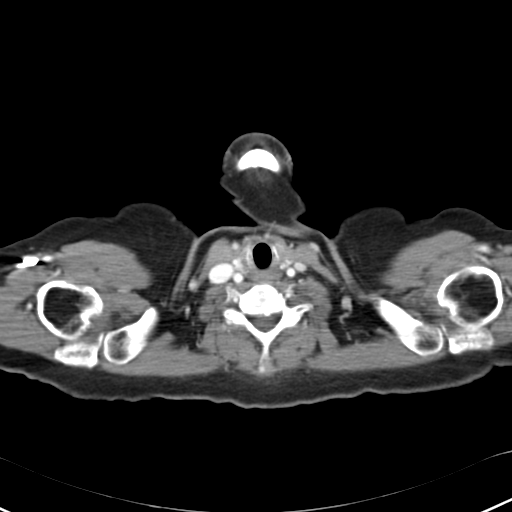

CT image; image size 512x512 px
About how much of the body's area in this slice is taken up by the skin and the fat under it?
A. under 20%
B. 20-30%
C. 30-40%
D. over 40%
Answer: C. 30-40%
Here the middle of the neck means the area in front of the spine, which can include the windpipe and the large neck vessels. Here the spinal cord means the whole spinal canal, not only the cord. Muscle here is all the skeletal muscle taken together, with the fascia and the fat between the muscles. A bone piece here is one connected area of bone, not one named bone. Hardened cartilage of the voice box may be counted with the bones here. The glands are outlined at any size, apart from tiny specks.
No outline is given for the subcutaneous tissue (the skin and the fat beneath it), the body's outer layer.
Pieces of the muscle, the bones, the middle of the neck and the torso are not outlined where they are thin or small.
The spinal cord is outlined by 275,313 280,313 280,316 278,320 274,325 274,326 272,328 266,331 263,331 262,330 260,330 258,329 251,322 249,318 250,316 255,316 256,315 262,315 263,316 269,316. The left arm is outlined by 451,206 463,206 473,209 491,219 498,225 504,228 511,229 511,357 502,355 493,351 486,345 481,343 473,336 468,334 457,326 442,308 427,283 422,263 422,254 420,244 420,218 432,216 440,210. The bones appear in 4 outlined pieces: piece 1: 466,263 487,266 502,282 501,311 485,326 494,340 490,349 451,354 445,340 439,351 420,355 400,341 369,298 376,292 414,318 438,327 444,324 450,330 453,326 447,318 448,310 438,304 436,293 443,279; piece 2: 58,278 89,285 99,294 103,309 92,319 91,341 100,332 106,333 134,322 150,306 155,306 158,320 147,344 123,364 108,361 101,348 98,364 90,369 57,361 54,351 66,342 40,321 35,296 41,285; piece 3: 260,282 268,282 281,292 293,284 295,301 313,305 293,327 283,329 271,342 268,359 264,361 267,372 262,374 258,371 261,344 243,326 227,323 222,315 225,308 236,306 233,302 225,302 227,288 244,292; inner edge: 275,313 280,313 280,316 278,320 274,325 274,326 272,328 266,331 263,331 262,330 260,330 258,329 251,322 249,318 250,316 255,316 256,315 262,315 263,316 269,316; piece 4: 256,147 259,147 260,148 266,149 271,152 275,156 280,164 280,167 281,169 279,172 274,172 269,169 267,169 263,167 249,167 243,170 237,170 236,169 236,167 235,166 236,165 236,162 237,160 246,151. The right arm is outlined by 74,215 83,216 95,216 96,215 99,230 102,237 102,245 104,252 104,284 101,303 98,312 65,350 34,379 27,378 23,374 20,373 7,372 1,370 0,369 0,247 19,239 30,236 47,225 59,219. The muscle appears in 2 outlined pieces: piece 1: 273,219 337,247 363,276 383,270 410,241 444,229 511,244 510,343 402,368 300,370 267,382 244,373 86,372 65,366 90,370 101,349 116,365 135,358 159,310 152,304 134,321 91,340 93,319 104,309 100,294 58,277 34,296 39,321 65,342 53,351 62,364 0,344 0,268 27,252 85,239 120,244 153,272 152,289 169,292 192,246, around holes outlined by 466,263 487,266 502,282 501,311 485,326 494,340 490,349 451,354 445,340 439,351 420,355 400,341 369,298 376,292 414,318 438,327 444,324 450,330 453,326 447,318 448,310 438,304 436,293 443,279 and by 261,238 283,242 286,254 308,267 304,274 268,282 281,292 293,284 295,301 313,305 271,342 264,361 267,372 262,374 261,344 222,315 225,308 236,306 225,302 227,288 244,292 260,282 209,283 211,268; piece 2: 253,138 260,138 265,140 272,147 276,148 287,162 287,167 285,169 285,181 279,182 280,191 278,197 275,200 275,207 267,206 262,200 258,199 255,195 247,193 241,189 228,173 230,169 229,162 232,156, around a hole outlined by 256,147 259,147 260,148 266,149 271,152 275,156 280,164 280,167 281,169 279,172 274,172 269,169 267,169 263,167 249,167 243,170 237,170 236,169 236,167 235,166 236,165 236,162 237,160 246,151. The torso appears in 2 outlined pieces: piece 1: 373,204 393,205 407,219 419,218 422,270 434,297 457,327 493,352 510,357 511,366 496,366 485,376 458,387 407,394 366,392 351,398 296,405 322,391 337,371 347,345 347,287 329,236 336,233 344,216; piece 2: 142,200 154,201 170,207 197,233 186,264 178,276 172,325 184,360 196,381 205,390 231,403 161,397 134,402 80,399 65,394 47,383 34,380 66,350 101,307 105,284 105,252 97,215 112,214 126,203. The middle of the neck is outlined by 261,238 269,238 275,242 271,249 281,269 285,265 288,266 293,258 301,260 308,267 306,273 284,280 209,283 211,268 240,253 240,256 235,259 235,264 237,267 240,265 242,271 246,273 250,247 246,244. The head and neck is outlined by 250,131 269,133 287,148 294,164 293,184 307,205 298,219 328,236 346,287 346,345 336,371 319,393 283,408 248,409 205,389 188,366 173,325 179,276 197,235 222,224 254,223 230,202 217,181 228,145. The thyroid glands appear in 2 outlined pieces: piece 1: 280,241 283,242 284,244 286,254 288,256 290,256 292,258 291,259 291,261 288,265 286,265 285,264 285,262 282,257 282,255 281,253 278,250 278,246 276,245 275,243 276,242 279,242; piece 2: 238,257 239,257 239,258 239,259 240,260 239,261 239,262 239,263 239,264 239,265 239,266 238,266 237,266 237,265 236,264 236,263 236,262 236,261 236,260 236,259 237,258.